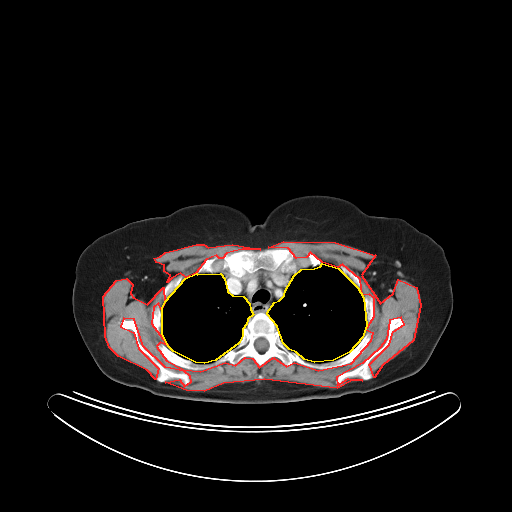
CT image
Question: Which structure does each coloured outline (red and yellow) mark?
Answer: red: muscle; yellow: thoracic cavity.
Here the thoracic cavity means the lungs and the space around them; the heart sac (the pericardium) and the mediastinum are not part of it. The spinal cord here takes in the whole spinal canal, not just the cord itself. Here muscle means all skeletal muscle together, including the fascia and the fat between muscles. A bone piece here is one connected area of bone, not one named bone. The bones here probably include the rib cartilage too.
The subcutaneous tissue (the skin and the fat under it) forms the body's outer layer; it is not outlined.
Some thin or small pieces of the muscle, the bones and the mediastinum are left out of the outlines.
muscle 1: [[283,241],[335,242],[375,255],[361,275],[380,303],[393,293],[398,279],[416,287],[420,305],[413,340],[382,365],[374,377],[369,364],[389,344],[393,331],[404,324],[401,317],[389,320],[386,339],[379,348],[362,363],[336,377],[337,385],[348,378],[362,380],[352,380],[337,388],[264,379],[223,383],[204,391],[186,390],[165,382],[179,379],[184,386],[191,381],[190,376],[184,371],[165,367],[143,346],[134,319],[123,318],[120,326],[133,332],[138,348],[158,368],[155,379],[147,370],[118,356],[109,347],[105,336],[103,296],[116,280],[126,278],[132,284],[130,293],[133,297],[147,304],[163,287],[164,302],[161,309],[158,303],[153,307],[151,323],[168,346],[160,342],[156,346],[166,360],[183,369],[200,371],[225,362],[235,365],[245,357],[252,358],[259,367],[273,357],[286,366],[294,362],[318,370],[351,363],[371,340],[373,333],[365,330],[374,316],[374,298],[369,294],[362,295],[360,279],[342,264],[337,267],[322,262],[310,252],[306,257],[296,258],[288,248],[268,247]]
muscle 2: [[196,244],[203,244],[208,247],[232,244],[260,249],[242,249],[233,251],[226,253],[222,258],[219,258],[216,255],[206,259],[195,273],[186,277],[180,273],[171,278],[167,282],[170,275],[164,271],[164,265],[156,262],[154,258],[160,256],[165,252]]
thoracic cavity 1: [[322,263],[338,268],[357,287],[363,297],[366,325],[362,337],[349,352],[333,360],[314,362],[304,359],[296,352],[289,349],[283,343],[277,326],[267,314],[267,312],[274,302],[279,300],[284,295],[285,290],[294,275],[301,269],[314,268],[320,266]]
thoracic cavity 2: [[196,273],[197,274],[220,273],[224,278],[227,291],[232,295],[243,296],[249,303],[250,309],[253,314],[247,319],[246,324],[242,329],[242,336],[238,343],[215,360],[204,363],[195,362],[173,351],[169,347],[162,334],[162,308],[165,301],[185,278]]
spinal cord: [[260,337],[262,337],[263,338],[264,338],[268,342],[268,347],[267,348],[267,349],[265,351],[264,351],[263,352],[260,352],[259,351],[258,351],[255,348],[255,346],[254,345],[254,342],[255,341],[255,340],[256,339],[257,339],[258,338],[259,338]]
mediastinum: [[260,269],[271,271],[279,270],[281,272],[286,273],[296,273],[289,280],[283,295],[273,302],[266,313],[263,311],[253,313],[250,303],[243,295],[232,294],[228,291],[226,281],[222,273],[228,272],[232,275],[243,276],[247,273],[249,274],[254,273]]
bones 1: [[259,312],[274,323],[289,350],[314,363],[336,360],[349,353],[366,332],[372,334],[354,360],[333,368],[294,361],[286,365],[275,356],[259,366],[245,356],[235,364],[225,361],[187,369],[166,359],[158,344],[195,363],[210,363],[239,343],[248,319]]; inner edge: [[260,337],[262,337],[263,338],[264,338],[268,342],[268,347],[267,348],[267,349],[265,351],[264,351],[263,352],[260,352],[259,351],[258,351],[255,348],[255,346],[254,345],[254,342],[255,341],[255,340],[256,339],[257,339],[258,338],[259,338]]
bones 2: [[266,248],[288,249],[293,252],[296,259],[301,257],[306,258],[310,253],[320,259],[320,265],[301,268],[296,272],[260,268],[243,275],[232,274],[228,271],[221,273],[197,273],[198,269],[206,260],[216,256],[222,259],[226,254],[233,252]]
bones 3: [[393,318],[401,318],[403,320],[403,324],[392,331],[389,342],[385,348],[370,360],[368,368],[373,374],[373,377],[367,380],[363,380],[358,376],[348,377],[340,384],[337,384],[336,379],[341,373],[350,371],[362,364],[384,344],[388,336],[389,322]]
bones 4: [[123,319],[135,321],[139,342],[159,363],[169,370],[178,373],[186,373],[190,381],[184,385],[183,381],[179,378],[172,378],[164,382],[157,381],[155,378],[160,372],[159,368],[139,348],[135,340],[134,332],[131,329],[125,329],[121,326],[120,323]]
bones 5: [[180,274],[183,275],[184,276],[184,278],[180,282],[180,283],[175,288],[175,289],[167,297],[167,298],[164,301],[164,300],[163,299],[163,290],[164,289],[164,287],[166,285],[166,284],[171,279],[172,279],[174,277],[175,277],[176,276],[177,276]]
bones 6: [[157,304],[158,304],[159,305],[159,306],[160,307],[160,309],[161,310],[161,334],[160,335],[159,335],[156,332],[156,331],[155,330],[155,329],[154,328],[154,327],[153,326],[153,324],[152,323],[152,311],[153,310],[153,309],[154,308],[154,307]]
bones 7: [[366,295],[369,295],[373,298],[373,304],[374,305],[374,308],[373,309],[373,316],[372,317],[372,319],[371,320],[371,322],[370,323],[370,324],[369,324],[368,325],[367,324],[367,319],[366,318],[366,311],[365,310],[365,304],[364,303],[364,297]]
bones 8: [[340,265],[342,265],[343,266],[348,268],[350,270],[353,271],[355,273],[355,274],[359,279],[359,281],[360,282],[360,289],[359,289],[358,288],[358,287],[346,275],[345,275],[344,274],[344,273],[340,269],[340,268],[339,267],[339,266]]
torso: [[309,194],[340,197],[369,214],[402,218],[444,250],[451,271],[453,309],[433,352],[418,372],[369,392],[340,397],[220,403],[155,395],[118,383],[99,369],[72,311],[76,263],[91,242],[130,222],[198,203],[235,207],[253,224],[259,224],[276,205]]